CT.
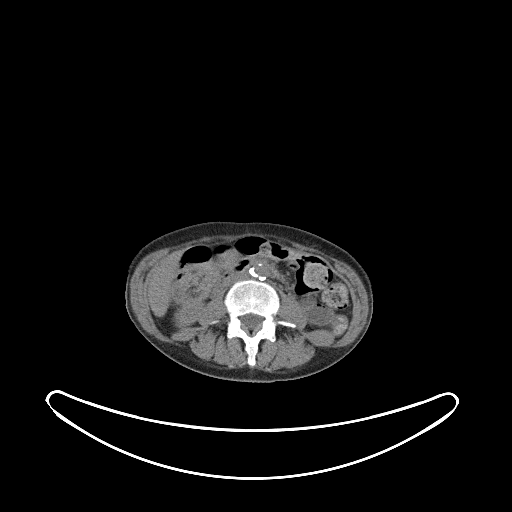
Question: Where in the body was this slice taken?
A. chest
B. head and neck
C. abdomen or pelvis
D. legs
Answer: C. abdomen or pelvis
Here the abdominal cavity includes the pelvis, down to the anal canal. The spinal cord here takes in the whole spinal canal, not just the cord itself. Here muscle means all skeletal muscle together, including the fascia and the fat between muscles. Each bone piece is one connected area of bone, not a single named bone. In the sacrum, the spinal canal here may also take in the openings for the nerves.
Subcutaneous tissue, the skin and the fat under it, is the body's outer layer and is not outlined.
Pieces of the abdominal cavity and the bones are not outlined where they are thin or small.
The spinal cord is outlined by (246, 314) (254, 314) (255, 315) (257, 315) (258, 316) (260, 316) (261, 317) (262, 317) (263, 318) (263, 319) (261, 322) (260, 327) (257, 329) (252, 329) (251, 330) (250, 330) (249, 329) (244, 329) (242, 327) (242, 323) (240, 320) (240, 317) (241, 316) (243, 316). The bones are outlined by (248, 279) (271, 285) (279, 296) (279, 308) (274, 318) (295, 324) (293, 328) (277, 325) (274, 341) (266, 338) (261, 339) (258, 343) (253, 366) (250, 366) (247, 362) (244, 341) (240, 337) (228, 338) (226, 335) (229, 316) (224, 304) (225, 295) (230, 287) (236, 281) with a hole at (246, 314) (254, 314) (255, 315) (257, 315) (258, 316) (260, 316) (261, 317) (262, 317) (263, 318) (263, 319) (261, 322) (260, 327) (257, 329) (252, 329) (251, 330) (250, 330) (249, 329) (244, 329) (242, 327) (242, 323) (240, 320) (240, 317) (241, 316) (243, 316). The muscle is outlined by (247, 232) (273, 234) (303, 245) (313, 247) (334, 258) (345, 262) (356, 272) (362, 281) (367, 292) (368, 313) (366, 321) (362, 329) (351, 343) (339, 348) (324, 349) (318, 355) (296, 370) (293, 371) (290, 370) (284, 373) (272, 373) (258, 369) (251, 369) (247, 367) (237, 369) (219, 369) (206, 365) (187, 349) (180, 348) (158, 340) (142, 327) (131, 307) (129, 286) (131, 277) (136, 266) (147, 254) (158, 249) (178, 245) (204, 236) (236, 235); inner edge: (250, 235) (315, 255) (337, 275) (352, 305) (339, 337) (326, 329) (306, 330) (299, 302) (282, 291) (274, 318) (295, 327) (277, 325) (274, 341) (261, 339) (253, 366) (244, 341) (226, 335) (223, 290) (204, 307) (199, 325) (162, 332) (148, 301) (160, 264) (193, 245). The abdominal cavity is outlined by (250, 235) (315, 255) (337, 275) (352, 305) (349, 323) (339, 337) (326, 329) (306, 330) (297, 300) (253, 278) (236, 280) (225, 294) (223, 290) (216, 295) (198, 316) (199, 325) (169, 335) (162, 332) (148, 301) (149, 282) (160, 264) (193, 245). The torso is outlined by (218, 220) (285, 224) (314, 233) (348, 251) (366, 271) (374, 294) (371, 323) (356, 347) (337, 363) (310, 376) (294, 380) (258, 383) (224, 380) (203, 375) (174, 362) (152, 346) (134, 327) (124, 306) (124, 283) (126, 271) (132, 258) (144, 245) (165, 233) (196, 223).